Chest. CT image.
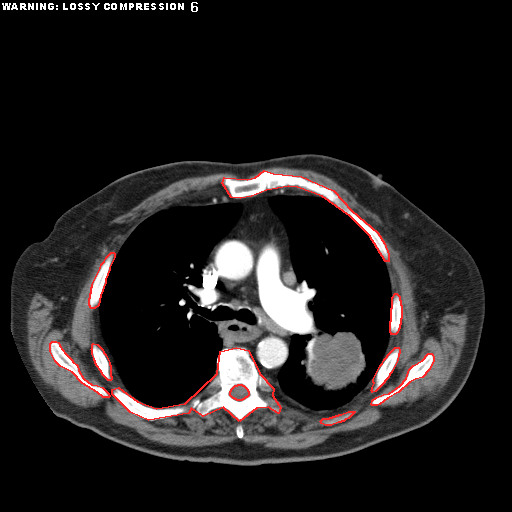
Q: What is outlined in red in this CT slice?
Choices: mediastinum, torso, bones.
A: red: bones.
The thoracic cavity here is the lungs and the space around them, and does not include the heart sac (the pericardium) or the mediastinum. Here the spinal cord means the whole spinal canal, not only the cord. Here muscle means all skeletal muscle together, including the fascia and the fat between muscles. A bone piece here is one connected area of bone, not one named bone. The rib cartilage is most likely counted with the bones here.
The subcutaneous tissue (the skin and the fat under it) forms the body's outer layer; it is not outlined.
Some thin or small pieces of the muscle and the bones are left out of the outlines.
Outlines:
bones 1: [[236,347],[248,350],[259,373],[273,388],[272,395],[280,407],[278,413],[268,407],[256,408],[239,421],[223,407],[203,416],[191,408],[188,413],[148,420],[130,412],[112,394],[112,389],[118,387],[137,401],[156,408],[185,403],[217,373],[220,351]]; inner edge: [[238,384],[241,384],[242,385],[243,385],[247,389],[247,390],[248,391],[248,395],[246,397],[245,397],[243,399],[242,399],[241,400],[237,400],[236,399],[235,399],[234,398],[233,398],[230,395],[230,391],[231,390],[231,389],[235,385],[237,385]]
bones 2: [[264,170],[273,173],[301,176],[333,190],[351,210],[377,232],[384,243],[388,254],[388,261],[385,261],[369,235],[350,216],[322,196],[297,187],[288,186],[266,190],[251,196],[240,198],[231,197],[222,183],[224,177],[247,179],[255,177]]
bones 3: [[52,341],[56,341],[58,342],[59,345],[65,353],[72,360],[72,361],[77,365],[78,370],[83,378],[91,384],[97,385],[102,387],[108,393],[109,396],[108,397],[103,397],[97,392],[82,383],[72,372],[60,366],[55,361],[50,351],[50,343]]
bones 4: [[428,353],[431,353],[432,354],[433,356],[433,361],[428,370],[422,377],[415,379],[409,382],[398,392],[387,398],[379,404],[377,405],[372,405],[371,404],[372,400],[376,397],[383,394],[389,393],[400,385],[406,378],[409,369],[413,365],[422,360]]
bones 5: [[111,252],[113,252],[114,253],[114,257],[109,267],[109,269],[105,279],[105,282],[100,295],[98,305],[94,308],[91,308],[89,305],[89,298],[90,297],[90,293],[91,292],[91,287],[92,286],[92,284],[100,268],[101,264],[104,261],[106,257]]
bones 6: [[395,347],[398,347],[399,349],[399,353],[398,354],[397,360],[391,372],[389,374],[388,377],[384,381],[384,382],[375,391],[372,392],[371,390],[372,389],[372,387],[374,383],[373,382],[373,379],[380,365],[382,363],[384,359],[387,356],[387,355]]
bones 7: [[93,343],[97,344],[102,349],[103,352],[105,354],[109,362],[109,364],[110,365],[110,375],[111,376],[111,379],[110,380],[108,380],[102,374],[102,373],[95,363],[95,361],[94,360],[94,358],[92,354],[92,350],[91,349],[92,348],[92,344]]
bones 8: [[395,293],[396,293],[399,296],[399,299],[400,300],[400,304],[401,305],[401,318],[400,319],[400,324],[399,325],[399,328],[398,329],[397,332],[395,334],[391,334],[391,333],[390,332],[390,321],[391,320],[391,308],[392,307],[392,297]]
bones 9: [[348,411],[354,411],[354,412],[348,418],[345,419],[343,421],[341,421],[340,422],[338,422],[331,425],[325,425],[321,423],[320,421],[323,418],[329,418],[330,417],[332,417],[333,416],[335,416],[336,415],[338,415],[339,414],[341,414]]
thoracic cavity 1: [[215,203],[239,203],[242,206],[238,219],[211,248],[200,271],[202,305],[222,341],[215,362],[216,373],[201,391],[182,402],[166,407],[147,405],[128,393],[102,348],[98,306],[110,267],[128,237],[150,216],[172,206],[187,204],[194,207]]
thoracic cavity 2: [[309,194],[334,204],[368,235],[385,262],[391,292],[390,334],[383,360],[373,378],[353,399],[330,410],[307,407],[275,391],[267,380],[277,381],[289,356],[291,337],[300,331],[302,320],[302,302],[292,263],[289,235],[269,199],[278,195],[307,198]]
torso: [[301,153],[324,154],[381,173],[385,181],[454,236],[476,262],[485,290],[484,322],[471,372],[448,407],[421,427],[352,453],[259,465],[160,457],[57,416],[30,376],[10,327],[11,276],[23,250],[44,239],[70,207],[131,172],[182,160],[234,163]]
spinal cord: [[238,384],[241,384],[242,385],[243,385],[247,389],[247,390],[248,391],[248,395],[246,397],[245,397],[243,399],[242,399],[241,400],[237,400],[236,399],[235,399],[234,398],[233,398],[230,395],[230,391],[231,390],[231,389],[235,385],[237,385]]
mediastinum: [[288,187],[306,192],[307,197],[278,194],[268,203],[288,235],[301,320],[299,331],[290,337],[287,359],[275,381],[260,373],[245,346],[223,347],[217,325],[208,319],[202,301],[205,261],[239,219],[243,206],[239,202],[188,203],[204,198],[240,199]]
muscle: [[272,166],[302,168],[321,173],[345,188],[360,204],[379,217],[382,222],[379,228],[380,231],[391,245],[399,251],[400,257],[406,265],[411,275],[411,280],[414,283],[413,293],[416,303],[416,316],[422,340],[428,336],[438,337],[440,335],[439,319],[443,315],[447,313],[466,312],[467,322],[464,345],[451,376],[440,391],[433,397],[428,399],[423,397],[408,407],[401,405],[390,409],[370,425],[333,433],[324,441],[305,448],[283,449],[265,447],[259,443],[245,442],[242,440],[244,429],[240,422],[235,426],[235,434],[239,439],[232,441],[203,446],[179,446],[160,443],[144,437],[131,427],[114,422],[100,410],[80,407],[69,402],[44,382],[34,368],[28,352],[26,321],[30,301],[36,292],[41,293],[51,300],[56,307],[53,311],[54,318],[52,326],[59,329],[69,327],[75,301],[88,275],[90,267],[94,260],[100,255],[103,244],[109,244],[113,237],[123,232],[126,228],[124,224],[110,223],[112,219],[129,211],[160,189],[187,177],[230,172],[240,178],[247,178],[263,168]], around holes outlined by [[264,170],[330,188],[383,241],[391,296],[396,293],[401,305],[399,328],[389,335],[384,355],[399,349],[391,372],[375,391],[372,379],[330,410],[312,409],[274,390],[278,413],[256,408],[240,421],[223,407],[203,416],[191,408],[154,420],[130,412],[112,394],[114,387],[127,390],[111,367],[110,380],[102,374],[91,349],[93,343],[102,347],[99,307],[89,305],[101,264],[155,213],[229,197],[224,177],[247,179]] and by [[52,341],[56,341],[58,342],[59,345],[65,353],[72,360],[72,361],[77,365],[78,370],[83,378],[91,384],[97,385],[102,387],[108,393],[109,396],[108,397],[103,397],[97,392],[82,383],[72,372],[60,366],[55,361],[50,351],[50,343]] and by [[428,353],[431,353],[432,354],[433,356],[433,361],[428,370],[422,377],[415,379],[409,382],[398,392],[387,398],[379,404],[377,405],[372,405],[371,404],[372,400],[376,397],[383,394],[389,393],[400,385],[406,378],[409,369],[413,365],[422,360]] and by [[348,411],[354,411],[354,412],[348,418],[345,419],[343,421],[341,421],[340,422],[338,422],[331,425],[325,425],[321,423],[320,421],[323,418],[329,418],[330,417],[332,417],[333,416],[335,416],[336,415],[338,415],[339,414],[341,414]]